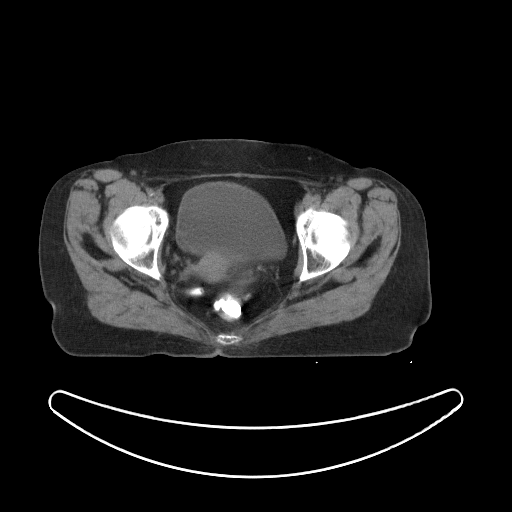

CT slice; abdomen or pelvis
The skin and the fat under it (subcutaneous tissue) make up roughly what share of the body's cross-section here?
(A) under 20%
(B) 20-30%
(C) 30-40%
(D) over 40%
Answer: (C) 30-40%
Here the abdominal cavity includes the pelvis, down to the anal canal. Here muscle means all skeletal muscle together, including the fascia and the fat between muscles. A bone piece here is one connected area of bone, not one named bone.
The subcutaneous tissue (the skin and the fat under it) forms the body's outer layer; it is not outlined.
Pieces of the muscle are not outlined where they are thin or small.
{"muscle":[{"outer":[[104,168],[141,178],[246,172],[324,184],[355,177],[377,179],[397,197],[399,249],[370,308],[349,321],[273,336],[242,348],[228,345],[243,339],[232,332],[214,336],[222,345],[215,347],[180,335],[112,326],[90,313],[86,290],[63,241],[71,185]],"hole":[[211,177],[299,183],[307,193],[295,215],[312,207],[344,218],[353,240],[347,255],[329,271],[299,282],[299,245],[294,280],[271,307],[229,329],[210,327],[170,289],[162,242],[162,277],[156,280],[115,252],[109,228],[129,206],[164,208],[166,185]]}],"abdominal_cavity":[[[211,177],[290,180],[299,183],[307,191],[295,206],[294,229],[299,245],[293,270],[294,280],[289,290],[251,321],[224,330],[210,327],[178,301],[165,279],[166,265],[162,257],[163,240],[170,223],[170,215],[164,205],[163,188],[174,182]]],"bones":[[[143,204],[145,205],[158,205],[164,208],[168,212],[169,215],[169,223],[157,252],[157,266],[162,276],[160,280],[156,280],[152,277],[138,271],[127,264],[115,252],[111,243],[109,228],[112,220],[125,208],[132,205],[142,205]],[[309,207],[312,207],[316,210],[325,210],[336,213],[344,218],[347,221],[351,232],[353,243],[347,255],[337,266],[321,275],[307,279],[302,282],[299,282],[298,278],[303,265],[303,253],[299,244],[299,240],[295,229],[295,220],[296,216],[300,212]],[[220,333],[232,333],[235,335],[237,335],[238,336],[241,336],[242,337],[242,339],[237,343],[234,343],[233,344],[228,344],[227,345],[223,345],[220,343],[218,343],[217,342],[216,342],[214,339],[214,337],[215,337],[218,334],[219,334]]],"torso":[[[200,138],[313,145],[354,166],[381,169],[403,183],[417,198],[425,215],[432,296],[430,316],[416,330],[410,346],[383,356],[345,357],[75,356],[63,351],[51,331],[52,308],[43,295],[38,264],[39,227],[49,189],[58,178],[75,168],[124,153]]]}